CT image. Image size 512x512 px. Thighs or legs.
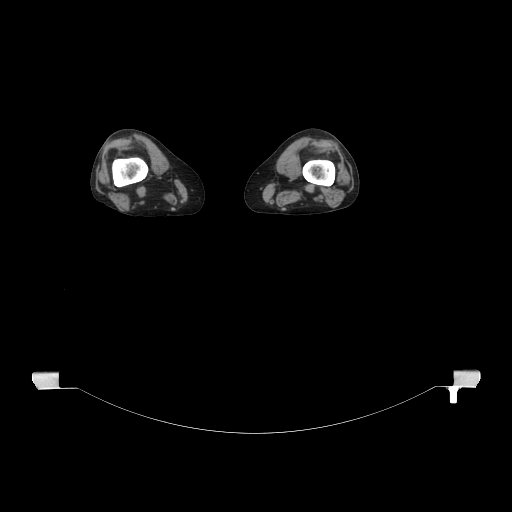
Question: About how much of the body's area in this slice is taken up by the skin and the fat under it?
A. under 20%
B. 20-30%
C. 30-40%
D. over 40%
Answer: C. 30-40%
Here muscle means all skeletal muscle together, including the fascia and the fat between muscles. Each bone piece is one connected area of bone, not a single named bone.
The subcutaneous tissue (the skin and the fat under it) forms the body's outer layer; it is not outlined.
The left leg is outlined by (310, 127) (321, 128) (329, 131) (335, 135) (343, 143) (352, 155) (357, 165) (360, 178) (360, 190) (356, 200) (348, 207) (337, 211) (323, 214) (283, 215) (271, 213) (257, 213) (252, 211) (246, 205) (243, 197) (244, 187) (250, 174) (286, 138) (302, 129). The bones appear in 2 outlined pieces: piece 1: (130, 156) (139, 156) (141, 157) (146, 162) (148, 166) (148, 172) (145, 178) (144, 178) (141, 181) (139, 181) (126, 186) (117, 187) (114, 185) (112, 180) (112, 174) (111, 173) (111, 164) (112, 163) (112, 161) (114, 158) (117, 158) (118, 157) (129, 157); piece 2: (316, 158) (321, 158) (322, 159) (329, 159) (334, 163) (334, 165) (335, 166) (335, 178) (334, 179) (334, 182) (330, 186) (323, 186) (322, 185) (317, 185) (316, 184) (314, 184) (307, 181) (303, 177) (303, 175) (302, 174) (302, 167) (304, 163) (310, 159) (315, 159). The muscle appears in 2 outlined pieces: piece 1: (135, 133) (147, 137) (160, 149) (167, 158) (172, 171) (185, 185) (188, 191) (188, 200) (177, 210) (172, 211) (147, 209) (133, 212) (122, 212) (116, 208) (107, 197) (100, 194) (97, 191) (95, 185) (96, 168) (100, 163) (101, 154) (106, 144) (113, 139) (125, 137), around a hole outlined by (130, 156) (139, 156) (141, 157) (146, 162) (148, 166) (148, 172) (145, 178) (144, 178) (141, 181) (139, 181) (126, 186) (117, 187) (114, 185) (112, 180) (112, 174) (111, 173) (111, 164) (112, 163) (112, 161) (114, 158) (117, 158) (118, 157) (129, 157); piece 2: (310, 135) (334, 139) (339, 142) (352, 170) (353, 189) (345, 196) (342, 202) (336, 207) (329, 207) (325, 204) (320, 204) (315, 206) (288, 208) (286, 210) (281, 210) (266, 204) (262, 200) (261, 197) (262, 188) (274, 179) (276, 160) (287, 146) (293, 141) (300, 137) with a hole at (316, 158) (321, 158) (322, 159) (329, 159) (334, 163) (334, 165) (335, 166) (335, 178) (334, 179) (334, 182) (330, 186) (323, 186) (322, 185) (317, 185) (316, 184) (314, 184) (307, 181) (303, 177) (303, 175) (302, 174) (302, 167) (304, 163) (310, 159) (315, 159). The right leg is outlined by (121, 128) (134, 128) (145, 131) (153, 135) (197, 172) (201, 178) (205, 189) (205, 200) (199, 211) (192, 215) (178, 216) (159, 215) (155, 217) (131, 216) (126, 215) (106, 206) (97, 201) (92, 196) (90, 191) (89, 179) (90, 171) (95, 155) (107, 136) (113, 131).